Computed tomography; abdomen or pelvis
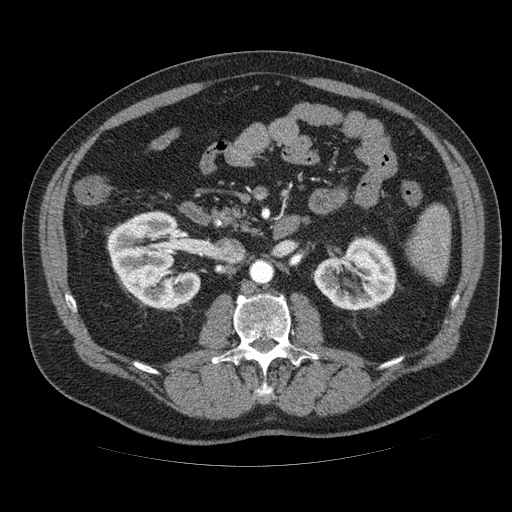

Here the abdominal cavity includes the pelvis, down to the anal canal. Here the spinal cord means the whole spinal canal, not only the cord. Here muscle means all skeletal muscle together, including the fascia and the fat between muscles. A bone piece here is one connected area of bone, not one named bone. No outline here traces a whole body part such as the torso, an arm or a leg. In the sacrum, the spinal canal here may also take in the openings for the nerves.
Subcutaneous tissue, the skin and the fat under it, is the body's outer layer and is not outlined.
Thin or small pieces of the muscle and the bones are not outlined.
The bones appear in 4 outlined pieces: piece 1: 266 292; 285 295; 291 315; 290 342; 318 353; 319 358; 304 358; 298 366; 287 358; 273 359; 266 371; 272 392; 269 401; 262 403; 255 391; 264 377; 256 360; 243 358; 235 365; 213 363; 211 358; 240 341; 233 327; 237 295, around a hole outlined by 260 338; 263 340; 265 340; 266 339; 272 339; 274 341; 275 341; 276 343; 275 345; 270 350; 269 350; 267 352; 261 352; 257 350; 255 348; 254 348; 251 345; 251 344; 255 340; 257 339; 259 339; piece 2: 133 360; 138 360; 141 362; 143 362; 145 364; 147 364; 148 365; 149 365; 150 366; 159 370; 161 373; 159 375; 156 375; 155 374; 151 374; 150 373; 145 372; 144 371; 139 369; 137 367; 134 366; 132 364; 132 361; piece 3: 401 354; 404 354; 405 355; 405 357; 401 361; 400 361; 398 363; 397 363; 392 366; 390 366; 389 367; 387 367; 386 368; 384 368; 383 369; 377 369; 376 368; 376 367; 381 363; 382 363; 383 362; 385 362; 392 358; 394 358; piece 4: 66 292; 68 292; 70 293; 74 298; 75 300; 75 302; 76 303; 76 305; 77 306; 77 311; 78 312; 77 314; 75 314; 73 313; 67 306; 67 304; 65 300; 65 297; 64 296; 64 294. The abdominal cavity is outlined by 252 75; 380 106; 411 120; 439 154; 459 216; 460 274; 426 345; 382 362; 323 345; 310 297; 289 293; 289 307; 283 292; 268 291; 238 293; 235 305; 220 293; 200 348; 156 367; 92 337; 68 284; 63 223; 79 162; 104 131. The spinal cord is outlined by 260 338; 263 340; 265 340; 266 339; 272 339; 274 341; 275 341; 276 343; 275 345; 270 350; 269 350; 267 352; 261 352; 257 350; 255 348; 254 348; 251 345; 251 344; 255 340; 257 339; 259 339. The muscle is outlined by 251 71; 274 71; 275 72; 292 74; 297 76; 322 77; 337 80; 373 92; 403 106; 420 117; 422 120; 426 121; 428 124; 431 125; 455 147; 469 167; 477 183; 480 197; 482 200; 484 211; 484 236; 485 237; 483 265; 480 273; 480 277; 470 300; 465 317; 461 324; 460 338; 454 353; 450 357; 440 363; 423 368; 417 371; 412 371; 409 373; 404 374; 393 381; 373 398; 364 404; 344 413; 328 415; 323 417; 319 416; 318 417; 296 416; 295 415; 290 415; 284 412; 278 407; 271 404; 257 404; 250 411; 236 418; 224 418; 216 420; 207 418; 200 419; 182 414; 158 400; 141 386; 133 381; 121 378; 116 375; 112 375; 105 372; 99 371; 84 363; 80 359; 76 353; 73 345; 68 339; 68 337; 60 323; 60 319; 49 295; 40 255; 40 246; 38 237; 39 213; 40 212; 40 206; 45 193; 46 187; 53 174; 63 160; 93 130; 97 128; 108 118; 122 109; 126 108; 140 100; 188 83; 202 82; 220 77; 245 73, around a hole outlined by 252 75; 286 77; 411 120; 447 170; 461 234; 457 305; 452 310; 448 303; 426 345; 392 366; 377 369; 380 362; 323 345; 316 305; 301 292; 289 293; 289 340; 319 358; 298 366; 273 359; 267 403; 255 391; 264 379; 256 360; 211 361; 240 341; 229 292; 205 311; 195 342; 200 348; 157 365; 159 375; 100 345; 64 296; 71 292; 64 204; 76 167; 99 136; 213 84.